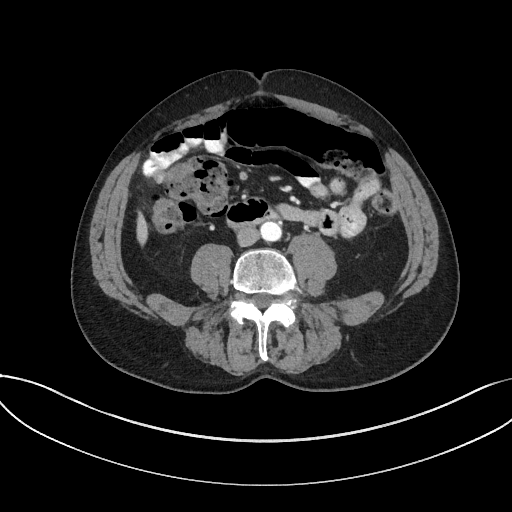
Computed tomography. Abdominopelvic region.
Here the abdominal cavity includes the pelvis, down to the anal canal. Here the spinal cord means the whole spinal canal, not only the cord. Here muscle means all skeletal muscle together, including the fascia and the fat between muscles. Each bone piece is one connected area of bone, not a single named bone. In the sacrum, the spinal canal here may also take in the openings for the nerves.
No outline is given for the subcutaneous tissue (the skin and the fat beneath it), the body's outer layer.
Outlines:
torso: (205, 394) (235, 392) (262, 378) (317, 392) (377, 384) (423, 361) (454, 319) (459, 263) (439, 196) (393, 124) (359, 95) (321, 75) (277, 68) (258, 77) (232, 68) (182, 86) (122, 136) (84, 204) (73, 245) (70, 295) (85, 339) (104, 361) (124, 373) (174, 391)
bones: (263, 361) (269, 359) (266, 348) (269, 324) (275, 320) (284, 327) (291, 325) (296, 319) (293, 310) (297, 300) (287, 292) (301, 292) (289, 261) (271, 248) (243, 252) (235, 262) (230, 281) (236, 292) (230, 298) (229, 313) (240, 324) (244, 318) (256, 324) (258, 353) with a hole at (260, 309) (264, 309) (266, 307) (267, 307) (273, 301) (273, 300) (275, 298) (275, 297) (272, 295) (270, 295) (269, 294) (267, 294) (266, 293) (256, 293) (255, 294) (252, 294) (251, 295) (248, 295) (247, 296) (248, 297) (248, 300) (251, 301) (255, 305) (256, 305)
abdominal cavity: (186, 304) (209, 301) (189, 277) (202, 244) (228, 245) (232, 271) (251, 248) (275, 248) (289, 260) (285, 247) (300, 233) (319, 236) (335, 253) (337, 273) (318, 299) (373, 289) (387, 298) (407, 242) (378, 142) (265, 95) (154, 140) (129, 185) (122, 260) (143, 293)
spinal cord: (260, 309) (264, 309) (266, 307) (267, 307) (273, 301) (273, 300) (275, 298) (275, 297) (272, 295) (270, 295) (269, 294) (267, 294) (266, 293) (256, 293) (255, 294) (252, 294) (251, 295) (248, 295) (247, 296) (248, 297) (248, 300) (251, 301) (255, 305) (256, 305)
muscle: (234, 375) (245, 375) (248, 373) (250, 373) (259, 364) (265, 362) (268, 362) (272, 364) (282, 372) (285, 373) (294, 373) (295, 374) (302, 373) (309, 368) (327, 362) (330, 359) (334, 358) (340, 353) (343, 348) (344, 342) (349, 337) (349, 332) (353, 328) (367, 321) (381, 318) (390, 314) (399, 308) (408, 297) (416, 293) (418, 293) (424, 287) (428, 285) (436, 270) (437, 261) (438, 260) (438, 250) (439, 249) (438, 224) (430, 200) (425, 191) (425, 189) (411, 166) (396, 150) (392, 148) (389, 144) (375, 132) (365, 125) (350, 118) (346, 114) (342, 114) (317, 103) (310, 102) (288, 95) (284, 95) (264, 90) (258, 90) (249, 94) (246, 94) (240, 97) (232, 98) (226, 100) (224, 102) (218, 103) (204, 108) (199, 112) (193, 113) (185, 118) (176, 120) (171, 124) (167, 125) (150, 134) (132, 152) (121, 159) (107, 176) (99, 192) (89, 228) (89, 250) (91, 256) (92, 273) (102, 291) (109, 297) (117, 300) (123, 307) (132, 313) (143, 318) (152, 324) (163, 327) (170, 327) (178, 329) (181, 332) (181, 338) (184, 346) (195, 357) (202, 362) (219, 366) (227, 372), around a hole outlined by (263, 361) (269, 324) (296, 319) (287, 292) (301, 289) (284, 253) (294, 235) (313, 233) (335, 253) (320, 300) (387, 298) (407, 258) (378, 142) (265, 95) (148, 146) (121, 242) (143, 293) (186, 304) (209, 301) (189, 277) (196, 250) (228, 245) (229, 313) (256, 324)